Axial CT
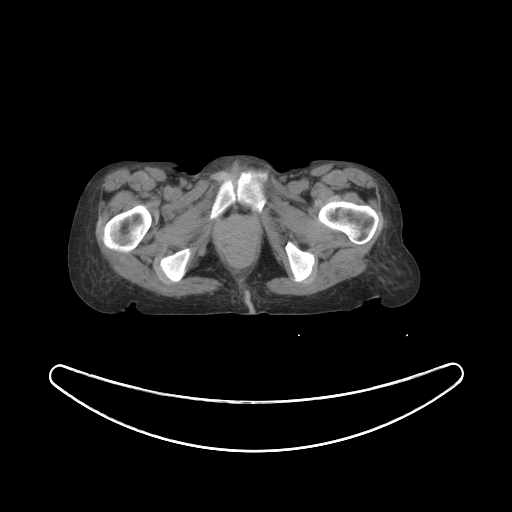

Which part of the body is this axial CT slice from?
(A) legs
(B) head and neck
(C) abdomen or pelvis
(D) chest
Answer: (C) abdomen or pelvis
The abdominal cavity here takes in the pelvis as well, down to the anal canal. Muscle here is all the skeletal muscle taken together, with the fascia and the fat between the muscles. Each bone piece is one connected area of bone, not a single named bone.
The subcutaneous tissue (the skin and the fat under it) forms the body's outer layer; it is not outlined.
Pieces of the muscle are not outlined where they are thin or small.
Outlines:
muscle: 235 161; 263 168; 282 184; 299 179; 323 164; 354 166; 370 174; 379 186; 383 227; 370 247; 365 271; 310 295; 291 295; 267 289; 264 285; 268 280; 288 276; 264 237; 255 265; 240 283; 224 265; 214 245; 208 243; 206 254; 199 258; 190 274; 222 281; 223 287; 213 293; 169 297; 156 294; 119 276; 103 257; 94 234; 100 186; 106 174; 121 167; 158 167; 187 190; 209 174 with holes at 243 171; 266 171; 268 175; 263 182; 263 193; 266 202; 260 212; 254 212; 261 225; 261 237; 248 269; 243 274; 238 275; 226 261; 216 241; 215 235; 219 218; 209 219; 209 216; 212 204; 222 182; 225 179; 231 179; 234 182 and at 340 200; 349 201; 360 205; 368 205; 375 210; 379 219; 378 224; 374 234; 366 243; 363 244; 356 244; 352 242; 343 232; 339 230; 332 229; 326 226; 320 222; 318 219; 318 213; 319 210; 323 205; 330 201; 339 201 and at 138 204; 144 205; 149 211; 152 217; 152 222; 151 223; 151 225; 143 238; 132 250; 128 252; 116 251; 115 250; 110 249; 108 247; 107 247; 103 243; 103 241; 102 240; 103 228; 105 224; 116 214; 120 212; 128 210 and at 288 241; 291 241; 293 242; 301 249; 312 253; 314 256; 314 259; 315 261; 312 267; 312 269; 311 270; 310 274; 305 279; 301 281; 295 281; 293 279; 293 275; 292 274; 292 272; 289 265; 288 258; 285 251; 285 245 and at 187 247; 191 249; 191 254; 189 257; 189 259; 186 265; 186 271; 185 272; 185 274; 179 281; 177 281; 176 282; 172 281; 170 280; 165 275; 165 274; 161 269; 160 267; 160 260; 164 256; 172 254; 178 250; 180 250
abdominal cavity: 236 202; 247 206; 254 212; 256 214; 261 225; 261 237; 259 240; 259 243; 257 246; 255 255; 248 269; 241 275; 238 275; 234 271; 228 262; 226 261; 226 259; 224 257; 216 241; 216 236; 215 235; 216 234; 217 222; 219 218
torso: 233 153; 263 157; 279 171; 336 159; 381 173; 398 198; 403 241; 420 269; 416 296; 396 308; 371 299; 349 311; 314 315; 144 315; 132 306; 105 314; 88 306; 71 285; 67 244; 78 199; 93 174; 120 160; 173 161; 194 174
bones 1: 340 200; 349 201; 360 205; 368 205; 375 210; 379 219; 378 224; 374 234; 366 243; 363 244; 356 244; 352 242; 343 232; 339 230; 332 229; 326 226; 320 222; 318 219; 318 213; 319 210; 323 205; 330 201; 339 201
bones 2: 243 171; 252 172; 266 171; 268 174; 267 178; 263 182; 263 193; 266 198; 266 202; 263 206; 262 210; 260 212; 253 211; 247 205; 236 201; 217 218; 209 219; 212 204; 222 182; 225 179; 231 179; 234 182; 238 178; 240 173
bones 3: 138 204; 144 205; 149 211; 152 217; 152 222; 151 223; 151 225; 143 238; 132 250; 128 252; 116 251; 115 250; 110 249; 108 247; 107 247; 103 243; 103 241; 102 240; 103 228; 105 224; 116 214; 120 212; 128 210
bones 4: 288 241; 291 241; 293 242; 301 249; 312 253; 314 256; 314 259; 315 261; 312 267; 312 269; 311 270; 310 274; 305 279; 301 281; 295 281; 293 279; 293 275; 292 274; 292 272; 289 265; 288 258; 285 251; 285 245
bones 5: 187 247; 191 249; 191 254; 189 257; 189 259; 186 265; 186 271; 185 272; 185 274; 179 281; 177 281; 176 282; 172 281; 170 280; 165 275; 165 274; 161 269; 160 267; 160 260; 164 256; 172 254; 178 250; 180 250